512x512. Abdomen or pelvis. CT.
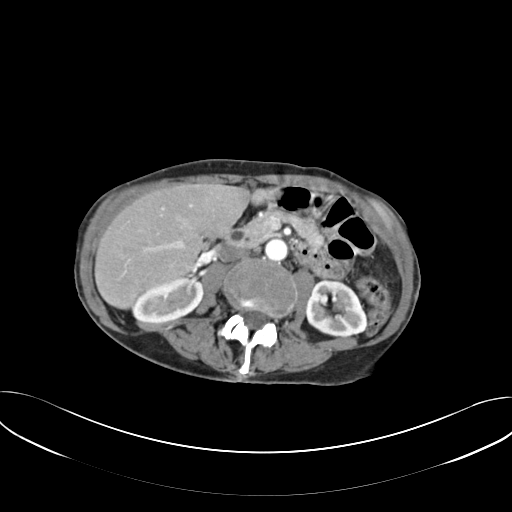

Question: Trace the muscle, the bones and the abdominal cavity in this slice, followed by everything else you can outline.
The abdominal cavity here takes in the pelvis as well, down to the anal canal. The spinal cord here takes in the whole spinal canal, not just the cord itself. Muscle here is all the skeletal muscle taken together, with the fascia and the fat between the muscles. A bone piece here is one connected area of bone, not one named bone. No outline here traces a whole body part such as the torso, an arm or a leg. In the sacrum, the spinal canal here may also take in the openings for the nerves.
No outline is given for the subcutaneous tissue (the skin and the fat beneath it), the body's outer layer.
Answer: muscle: [[199,173],[236,173],[243,175],[246,174],[259,175],[260,174],[268,174],[269,173],[278,173],[279,174],[283,173],[300,173],[301,174],[319,175],[327,177],[330,179],[337,180],[360,193],[367,194],[381,200],[393,212],[404,228],[407,237],[413,249],[413,253],[414,254],[414,281],[413,282],[412,297],[405,317],[401,322],[399,327],[390,336],[373,345],[365,346],[360,348],[355,348],[351,350],[339,351],[336,353],[334,353],[329,359],[322,364],[307,370],[297,371],[296,372],[267,372],[242,378],[238,377],[227,371],[218,371],[212,368],[209,365],[200,361],[190,360],[183,357],[176,352],[167,341],[156,332],[149,332],[138,336],[132,336],[131,335],[122,334],[104,325],[100,321],[98,316],[89,307],[85,299],[82,290],[82,286],[79,279],[79,266],[78,265],[79,264],[78,261],[79,248],[82,241],[82,236],[85,228],[88,224],[89,219],[92,216],[95,209],[100,202],[108,194],[115,190],[118,190],[121,188],[136,183],[159,179],[162,177],[190,175],[191,174],[198,174]]; inner edge: [[251,179],[349,198],[400,278],[377,332],[311,335],[302,324],[314,276],[288,271],[295,300],[274,321],[277,342],[257,344],[240,374],[244,347],[217,334],[237,311],[225,288],[234,269],[221,262],[184,316],[110,313],[93,254],[123,208],[168,187]]
bones: [[248,260],[265,260],[285,269],[295,289],[295,300],[292,308],[274,321],[277,342],[270,347],[257,344],[251,351],[249,372],[240,374],[238,369],[244,360],[244,347],[238,340],[226,339],[218,335],[217,331],[237,311],[226,292],[226,277],[241,262]]; inner edge: [[244,308],[246,308],[250,310],[253,310],[254,311],[259,311],[260,312],[262,312],[264,313],[268,317],[269,319],[259,328],[257,329],[255,329],[254,330],[251,330],[249,329],[249,328],[245,324],[244,322],[244,317],[241,314],[241,312]]
abdominal cavity: [[251,179],[349,198],[391,250],[400,278],[397,304],[377,332],[366,339],[311,335],[302,324],[314,276],[265,259],[241,261],[234,268],[212,264],[201,280],[200,302],[176,319],[127,322],[110,313],[94,288],[93,254],[123,208],[168,187]]
spinal cord: [[244,308],[246,308],[250,310],[253,310],[254,311],[259,311],[260,312],[262,312],[264,313],[268,317],[269,319],[259,328],[257,329],[255,329],[254,330],[251,330],[249,329],[249,328],[245,324],[244,322],[244,317],[241,314],[241,312]]